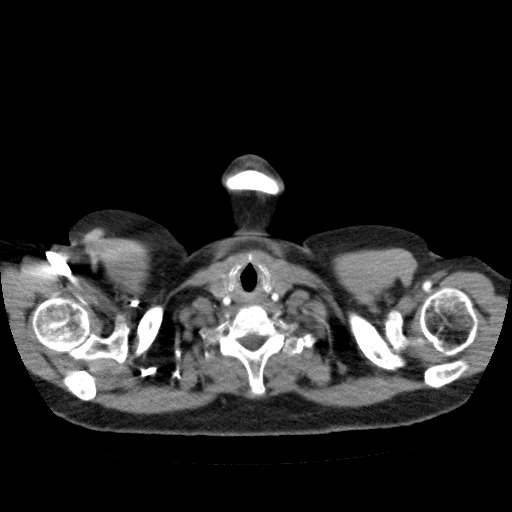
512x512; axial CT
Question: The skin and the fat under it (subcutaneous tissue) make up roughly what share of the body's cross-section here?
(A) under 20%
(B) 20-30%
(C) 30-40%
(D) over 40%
Answer: (B) 20-30%
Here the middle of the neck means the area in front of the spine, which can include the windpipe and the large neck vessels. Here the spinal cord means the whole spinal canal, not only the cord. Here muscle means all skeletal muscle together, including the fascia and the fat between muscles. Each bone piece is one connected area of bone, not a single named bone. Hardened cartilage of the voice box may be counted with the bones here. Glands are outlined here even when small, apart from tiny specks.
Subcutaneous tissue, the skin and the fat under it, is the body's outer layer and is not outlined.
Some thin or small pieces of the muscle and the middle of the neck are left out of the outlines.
The head and neck is outlined by [[248,153],[261,156],[267,160],[283,180],[284,189],[277,211],[271,219],[271,232],[276,236],[299,244],[307,235],[315,258],[331,354],[310,434],[199,435],[171,355],[188,250],[191,252],[211,240],[232,232],[228,198],[220,180],[222,173],[234,158]]. The thyroid glands appear in 2 outlined pieces: piece 1: [[221,272],[225,272],[226,273],[227,273],[227,289],[229,291],[229,292],[228,293],[226,293],[224,291],[224,288],[223,287],[223,285],[222,284],[222,281],[220,279],[220,278],[219,277],[218,277],[218,274],[219,274]]; piece 2: [[270,271],[271,271],[272,272],[273,272],[275,274],[276,274],[278,276],[278,279],[277,280],[277,281],[276,282],[276,283],[272,287],[271,286],[271,283],[270,282],[270,277],[271,276],[271,274],[270,273]]. The torso appears in 2 outlined pieces: piece 1: [[106,208],[126,209],[151,217],[169,228],[187,247],[188,254],[170,355],[198,435],[116,433],[92,430],[68,422],[56,415],[51,409],[33,381],[24,363],[30,362],[48,365],[90,342],[105,288],[68,241],[68,232],[72,225],[82,216],[89,212]]; piece 2: [[359,223],[384,224],[412,231],[424,238],[429,248],[439,254],[397,292],[385,305],[379,329],[398,359],[464,367],[480,371],[482,373],[466,401],[461,406],[429,420],[408,426],[311,434],[332,354],[332,344],[316,258],[308,234],[328,228]]. The middle of the neck is outlined by [[247,262],[256,262],[264,276],[262,288],[265,292],[268,293],[278,280],[287,281],[290,285],[289,290],[277,301],[266,299],[259,303],[240,305],[232,302],[224,305],[211,293],[210,282],[219,278],[223,291],[228,294],[234,289],[234,275],[242,264]]. The left arm is outlined by [[464,254],[472,255],[481,259],[495,270],[510,279],[507,301],[499,333],[497,336],[497,339],[495,342],[495,345],[491,355],[483,371],[464,366],[432,363],[431,362],[424,362],[407,359],[399,359],[380,329],[387,303],[439,255],[446,258],[452,258]]. The muscle appears in 2 outlined pieces: piece 1: [[97,226],[151,246],[155,289],[175,287],[210,261],[217,244],[250,235],[282,244],[288,259],[322,277],[338,253],[402,247],[417,260],[418,278],[445,268],[478,271],[507,301],[483,370],[458,379],[469,368],[458,358],[423,371],[424,384],[440,389],[358,407],[323,405],[293,392],[261,399],[222,393],[193,409],[124,412],[88,402],[97,386],[84,368],[66,372],[69,392],[27,369],[0,276],[4,255],[77,248]] with holes at [[249,253],[290,285],[277,301],[259,304],[270,317],[293,323],[294,334],[309,332],[316,338],[300,353],[281,350],[267,359],[261,395],[250,392],[242,362],[222,355],[217,342],[210,343],[200,334],[204,328],[231,320],[242,306],[224,305],[209,286]] and at [[444,287],[463,291],[473,304],[478,323],[469,345],[453,355],[444,355],[428,341],[408,345],[393,351],[405,363],[395,370],[379,367],[365,356],[350,330],[350,312],[363,316],[383,337],[388,313],[397,310],[403,333],[408,338],[422,337],[421,307]] and at [[53,294],[70,299],[85,309],[89,317],[90,331],[100,337],[107,337],[113,331],[118,318],[123,320],[130,329],[128,353],[124,362],[119,363],[112,358],[97,358],[88,361],[75,359],[66,352],[58,352],[42,344],[33,330],[32,314],[38,304]] and at [[158,304],[163,306],[164,308],[164,314],[163,315],[162,321],[159,327],[158,332],[154,340],[148,349],[145,352],[142,353],[140,355],[136,355],[135,352],[138,345],[138,337],[137,336],[137,326],[138,325],[138,323],[147,309],[154,305],[157,305]]; piece 2: [[246,161],[253,161],[260,164],[262,166],[263,166],[264,168],[266,169],[273,176],[273,177],[270,175],[268,175],[266,173],[260,170],[254,169],[253,168],[247,168],[246,169],[243,169],[233,174],[230,174],[235,167],[237,167],[241,165]]. The right arm is outlined by [[3,234],[14,236],[38,237],[63,244],[67,244],[68,242],[100,281],[104,289],[88,343],[48,364],[24,361],[22,359],[22,356],[18,350],[18,347],[14,339],[14,334],[10,327],[6,311],[6,299],[4,296],[3,286],[0,276],[0,239]]. The spinal cord is outlined by [[249,333],[256,333],[258,335],[259,335],[260,336],[263,336],[264,337],[266,337],[266,338],[265,339],[265,340],[262,343],[262,344],[258,348],[257,348],[254,350],[251,350],[250,349],[245,347],[239,341],[239,339],[242,338],[244,336],[245,336]]. The bones appear in 9 outlined pieces: piece 1: [[444,287],[463,291],[473,304],[478,323],[469,345],[453,355],[444,355],[428,341],[408,345],[393,351],[405,363],[395,370],[379,367],[365,356],[350,330],[350,312],[363,316],[383,337],[388,313],[397,310],[403,333],[408,338],[422,337],[421,307]]; piece 2: [[252,304],[261,305],[276,320],[293,323],[294,334],[309,332],[316,338],[300,353],[289,355],[281,350],[267,359],[263,369],[265,392],[261,395],[250,392],[242,362],[222,355],[217,342],[210,343],[200,334],[204,328],[231,320],[240,307]]; inner edge: [[249,333],[256,333],[258,335],[259,335],[260,336],[263,336],[264,337],[266,337],[266,338],[265,339],[265,340],[262,343],[262,344],[258,348],[257,348],[254,350],[251,350],[250,349],[245,347],[239,341],[239,339],[242,338],[244,336],[245,336]]; piece 3: [[53,294],[70,299],[85,309],[89,317],[90,331],[100,337],[107,337],[113,331],[118,318],[123,320],[130,329],[128,353],[124,362],[119,363],[112,358],[97,358],[88,361],[75,359],[66,352],[58,352],[42,344],[33,330],[32,314],[38,304]]; piece 4: [[247,169],[253,169],[254,170],[257,170],[266,174],[268,176],[272,177],[276,180],[281,189],[279,191],[279,192],[276,194],[267,194],[259,190],[230,190],[228,189],[228,188],[226,187],[224,183],[225,180],[230,175],[233,175],[240,171],[246,170]]; piece 5: [[158,304],[163,306],[164,308],[164,314],[163,315],[162,321],[159,327],[158,332],[154,340],[148,349],[145,352],[142,353],[140,355],[136,355],[135,352],[138,345],[138,337],[137,336],[137,326],[138,325],[138,323],[147,309],[154,305],[157,305]]; piece 6: [[458,359],[462,359],[464,361],[465,361],[468,364],[468,368],[466,369],[457,379],[439,388],[433,388],[425,384],[423,376],[424,375],[424,371],[427,368],[432,365],[441,364],[442,363],[445,363],[446,362],[450,362],[451,361],[457,360]]; piece 7: [[82,369],[84,369],[88,372],[89,372],[95,378],[95,385],[96,386],[96,394],[94,398],[89,401],[84,401],[80,399],[75,395],[74,395],[68,390],[68,388],[64,384],[63,382],[63,379],[68,371],[72,371],[73,370],[81,370]]; piece 8: [[249,253],[251,254],[254,261],[247,261],[246,263],[242,263],[241,264],[242,265],[237,269],[237,271],[233,275],[232,278],[233,279],[233,289],[230,291],[228,289],[228,283],[230,281],[228,273],[230,269],[235,264],[242,262],[245,260],[247,258]]; piece 9: [[257,262],[263,264],[265,266],[266,266],[266,267],[269,270],[269,273],[270,274],[270,276],[269,277],[269,282],[270,283],[270,286],[271,287],[271,289],[268,292],[265,291],[263,288],[263,279],[265,278],[265,276],[262,272],[262,271],[256,264]].